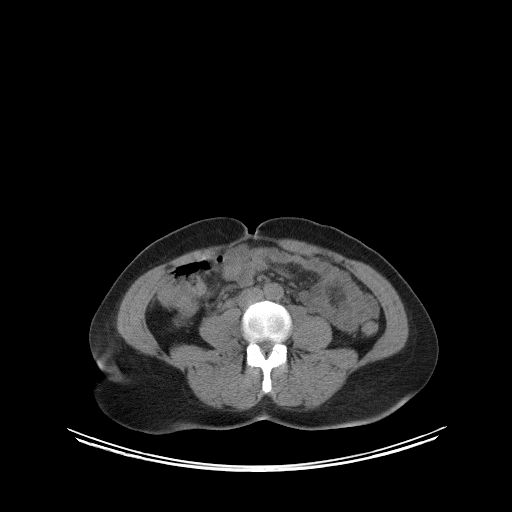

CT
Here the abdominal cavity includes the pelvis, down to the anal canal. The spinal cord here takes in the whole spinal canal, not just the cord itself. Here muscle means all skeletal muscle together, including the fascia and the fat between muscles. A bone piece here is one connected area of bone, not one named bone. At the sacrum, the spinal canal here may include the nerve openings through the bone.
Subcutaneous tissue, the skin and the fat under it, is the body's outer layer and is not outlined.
Outlined structures:
torso: (214, 216) (237, 218) (250, 233) (272, 217) (305, 217) (337, 227) (380, 253) (407, 281) (434, 325) (438, 358) (425, 386) (379, 421) (333, 429) (304, 430) (263, 419) (226, 430) (154, 435) (106, 416) (92, 393) (99, 372) (88, 333) (96, 309) (144, 247) (181, 226)
muscle: (258, 234) (304, 241) (371, 266) (393, 286) (406, 312) (408, 337) (405, 345) (397, 353) (354, 371) (327, 402) (313, 410) (284, 409) (267, 396) (242, 411) (208, 406) (194, 394) (178, 369) (138, 352) (126, 343) (116, 328) (117, 313) (124, 294) (146, 271) (196, 249), around a hole outlined by (255, 240) (325, 256) (371, 290) (385, 318) (372, 347) (361, 357) (351, 347) (327, 348) (328, 322) (290, 304) (287, 362) (271, 370) (271, 390) (264, 393) (262, 370) (246, 364) (243, 311) (232, 303) (199, 324) (211, 348) (162, 349) (146, 309) (165, 273)
abdominal cavity: (255, 240) (325, 256) (371, 290) (385, 318) (372, 347) (361, 357) (351, 347) (327, 348) (332, 328) (323, 317) (301, 305) (287, 308) (261, 299) (243, 311) (232, 303) (205, 316) (198, 331) (211, 348) (178, 343) (168, 353) (162, 349) (147, 325) (146, 309) (165, 273)
bones: (261, 300) (269, 300) (283, 305) (289, 312) (292, 321) (289, 336) (284, 342) (287, 346) (287, 362) (286, 365) (279, 365) (271, 370) (271, 390) (268, 393) (262, 391) (262, 370) (257, 366) (251, 367) (246, 364) (248, 343) (243, 336) (241, 327) (241, 317) (248, 304) with a hole at (264, 340) (270, 340) (273, 342) (273, 345) (272, 346) (272, 347) (271, 348) (271, 349) (270, 350) (270, 351) (267, 353) (264, 353) (261, 350) (261, 348) (259, 346) (259, 345) (258, 344) (258, 342) (260, 342) (261, 341) (263, 341)
spinal cord: (264, 340) (270, 340) (273, 342) (273, 345) (272, 346) (272, 347) (271, 348) (271, 349) (270, 350) (270, 351) (267, 353) (264, 353) (261, 350) (261, 348) (259, 346) (259, 345) (258, 344) (258, 342) (260, 342) (261, 341) (263, 341)